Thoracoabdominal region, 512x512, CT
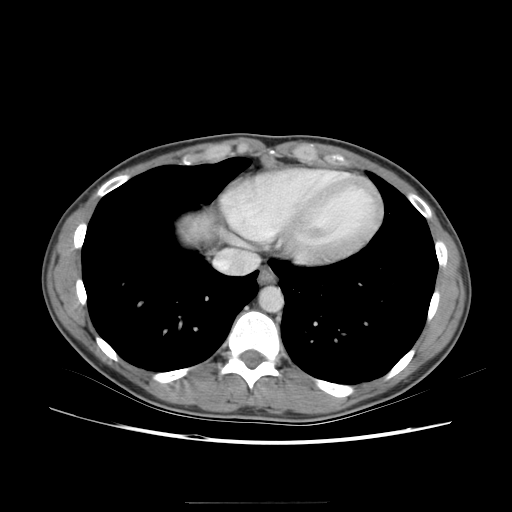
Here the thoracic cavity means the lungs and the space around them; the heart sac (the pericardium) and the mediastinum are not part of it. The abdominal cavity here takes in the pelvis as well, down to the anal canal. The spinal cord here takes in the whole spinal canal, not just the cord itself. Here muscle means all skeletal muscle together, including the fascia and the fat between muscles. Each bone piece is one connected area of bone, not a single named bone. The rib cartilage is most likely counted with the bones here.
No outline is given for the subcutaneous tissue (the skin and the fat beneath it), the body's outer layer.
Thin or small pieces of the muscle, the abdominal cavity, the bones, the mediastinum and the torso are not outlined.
Outlines (x, y in pixels):
thoracic cavity 1: 156 372; 189 366; 209 357; 257 291; 256 270; 245 276; 223 274; 196 252; 180 248; 172 228; 174 218; 182 211; 210 203; 249 165; 248 158; 234 156; 216 163; 151 168; 101 198; 88 223; 82 247; 82 278; 92 322; 121 357
thoracic cavity 2: 347 384; 383 375; 413 345; 425 322; 438 267; 426 220; 394 186; 368 170; 366 174; 378 188; 384 200; 385 211; 380 228; 365 247; 344 260; 322 267; 298 267; 279 259; 269 261; 280 278; 285 296; 280 331; 290 359; 313 376
abdominal cavity: 214 267; 213 254; 215 253; 214 252; 215 251; 215 246; 220 241; 218 239; 209 221; 209 217; 206 208; 207 205; 201 205; 197 209; 186 210; 182 212; 175 218; 173 222; 174 236; 176 241; 180 247; 183 249; 196 251; 199 253
mediastinum: 279 326; 284 296; 279 286; 279 278; 268 264; 271 258; 276 258; 256 251; 234 248; 220 242; 216 246; 216 253; 214 254; 216 269; 230 275; 245 275; 255 269; 258 271; 256 278; 258 291; 238 314; 250 309; 259 310; 268 314
torso: 278 425; 318 424; 384 406; 448 355; 464 328; 472 298; 466 254; 450 220; 429 190; 403 167; 372 150; 331 137; 223 133; 157 145; 124 159; 66 208; 51 233; 40 283; 54 325; 84 360; 141 404; 195 419
bones 1: 250 390; 261 376; 281 376; 276 367; 280 357; 289 360; 279 327; 268 315; 255 310; 236 317; 226 339; 205 361; 181 369; 157 372; 152 376; 154 380; 166 383; 186 375; 218 354; 226 354; 227 359; 218 364; 219 375; 239 374 with a hole at 250 368; 254 368; 258 364; 259 364; 262 361; 263 361; 264 360; 264 357; 260 353; 259 353; 257 351; 256 351; 255 350; 247 350; 246 351; 245 351; 244 352; 243 352; 240 355; 240 358; 246 364; 246 365; 248 367; 249 367
bones 2: 186 165; 195 164; 198 162; 200 163; 216 162; 227 157; 233 156; 235 154; 241 154; 248 150; 248 144; 245 142; 241 142; 234 147; 229 144; 224 143; 223 144; 216 144; 208 147; 201 153; 195 155; 185 154; 181 158; 181 163
bones 3: 337 397; 345 397; 352 393; 354 391; 354 387; 352 385; 339 384; 338 383; 333 383; 332 382; 329 382; 325 380; 318 379; 303 372; 304 374; 306 375; 306 376; 307 376; 314 382; 314 383; 318 388; 331 395; 333 395
bones 4: 308 163; 312 163; 314 161; 317 161; 319 160; 319 157; 318 156; 318 153; 317 152; 317 150; 312 144; 300 144; 296 146; 292 150; 292 153; 294 157; 298 159; 300 161; 303 161; 304 162; 307 162
bones 5: 99 197; 102 197; 105 194; 106 194; 111 190; 116 188; 118 186; 119 186; 121 184; 122 184; 124 182; 128 180; 131 177; 128 174; 122 174; 121 175; 118 175; 117 176; 115 176; 109 179; 107 181; 106 181; 98 189; 96 194
bones 6: 385 380; 387 380; 388 379; 389 379; 391 377; 392 377; 394 375; 395 375; 397 373; 398 373; 408 364; 408 363; 412 358; 413 355; 415 353; 415 348; 414 347; 412 347; 389 370; 389 371; 388 372; 387 372; 383 376; 383 378
bones 7: 426 219; 429 219; 432 216; 432 212; 430 208; 428 206; 428 205; 419 196; 418 196; 416 194; 414 193; 412 193; 411 192; 409 192; 407 193; 405 195; 406 197; 410 201; 410 202; 424 216; 424 217
bones 8: 439 268; 443 268; 445 267; 446 265; 446 262; 447 261; 447 249; 443 241; 438 239; 434 242; 434 244; 435 245; 435 251; 436 252; 436 255; 437 256; 437 260; 438 261; 438 266
bones 9: 115 361; 118 361; 119 360; 120 357; 117 354; 117 353; 112 348; 112 347; 108 343; 107 343; 100 336; 97 335; 95 337; 95 340; 96 341; 96 342; 97 343; 98 346; 102 350; 102 351; 106 355; 107 355; 110 358; 113 359
bones 10: 79 249; 80 249; 82 246; 82 244; 84 240; 84 237; 85 236; 85 232; 86 231; 86 228; 87 227; 87 224; 84 222; 81 222; 76 227; 74 231; 74 235; 73 236; 73 242; 74 243; 74 246; 75 248; 78 248
bones 11: 427 323; 431 319; 431 318; 433 316; 433 315; 435 313; 437 309; 437 306; 439 302; 439 297; 440 296; 439 291; 437 288; 435 288; 432 294; 431 299; 430 300; 430 303; 429 304; 428 310; 427 311; 427 317; 426 318; 426 322
spinal cord: 250 368; 254 368; 258 364; 259 364; 262 361; 263 361; 264 360; 264 357; 260 353; 259 353; 257 351; 256 351; 255 350; 247 350; 246 351; 245 351; 244 352; 243 352; 240 355; 240 358; 246 364; 246 365; 248 367; 249 367
muscle: 276 414; 346 408; 404 380; 448 343; 463 311; 465 286; 457 248; 434 209; 394 172; 341 147; 317 142; 289 141; 271 147; 252 138; 208 142; 116 173; 111 177; 133 176; 157 165; 181 164; 185 153; 195 154; 216 143; 234 146; 245 141; 249 150; 235 155; 271 158; 294 158; 291 150; 296 145; 312 143; 320 157; 313 163; 332 165; 322 156; 338 152; 351 162; 349 166; 375 172; 402 193; 416 193; 431 208; 433 216; 427 222; 432 237; 443 240; 448 249; 447 265; 438 268; 436 277; 438 309; 425 323; 413 346; 416 353; 403 370; 387 381; 382 376; 353 385; 355 391; 345 398; 318 389; 282 358; 277 362; 282 376; 261 377; 251 391; 239 375; 218 375; 217 364; 226 355; 166 384; 151 378; 155 372; 122 358; 110 359; 97 346; 87 305; 80 304; 74 287; 81 277; 81 249; 73 246; 73 231; 81 221; 88 222; 101 185; 67 218; 51 255; 47 288; 57 317; 76 339; 103 363; 162 400; 208 411; 249 406
pericardium: 307 267; 327 265; 348 257; 365 246; 379 228; 383 218; 383 200; 374 184; 360 172; 337 166; 309 166; 297 162; 262 161; 249 166; 234 178; 220 192; 214 202; 207 206; 210 221; 223 243; 234 247; 264 252; 287 260; 294 265